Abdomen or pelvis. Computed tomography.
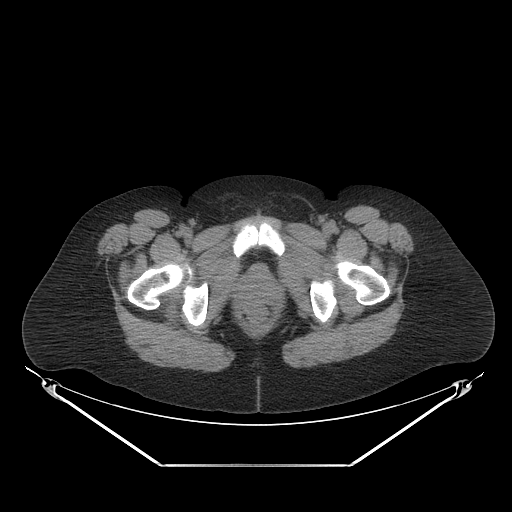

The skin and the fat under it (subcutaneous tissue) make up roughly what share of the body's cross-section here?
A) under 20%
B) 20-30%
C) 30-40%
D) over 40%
D) over 40%
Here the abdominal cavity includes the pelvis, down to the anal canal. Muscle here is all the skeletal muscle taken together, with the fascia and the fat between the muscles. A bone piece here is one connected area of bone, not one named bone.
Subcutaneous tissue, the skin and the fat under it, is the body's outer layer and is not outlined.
The bones appear in 5 outlined pieces: piece 1: 171,262 178,264 187,262 193,271 190,280 188,280 189,277 186,273 181,283 178,286 163,292 159,296 160,304 157,308 152,310 146,310 138,307 128,300 126,296 126,291 129,284 133,280 150,267 157,268; piece 2: 342,260 348,260 356,264 367,264 371,266 378,273 382,275 386,279 390,287 390,293 389,295 382,301 372,305 364,305 359,303 355,297 355,291 354,289 349,285 343,283 337,275 337,270 334,265 337,262; piece 3: 262,221 267,222 279,232 285,244 285,250 284,252 281,256 278,256 268,247 264,245 255,245 246,251 238,259 233,253 233,250 232,249 232,243 234,237 244,224 246,223 250,223 251,224 258,225 260,222; piece 4: 204,281 206,281 207,282 207,285 208,286 208,304 207,305 206,317 204,322 202,324 198,326 194,326 188,322 186,317 182,311 182,304 183,303 182,291 184,288 184,286 186,284 189,284 192,286 197,287; piece 5: 326,279 331,279 333,281 333,283 334,284 334,295 336,298 337,303 333,309 332,313 328,320 323,323 316,318 313,313 309,291 310,290 310,283 312,280 316,280 319,282 322,282. The abdominal cavity is outlined by 255,246 264,246 268,248 277,256 278,274 281,278 283,286 282,295 277,306 276,312 271,320 272,321 264,330 259,333 256,333 251,330 243,321 241,317 234,290 236,276 239,270 242,256 251,248 253,248. The muscle is outlined by 359,204 375,207 399,219 414,243 403,285 405,307 398,329 373,351 308,369 286,364 282,359 282,345 303,334 308,326 296,314 290,299 283,321 258,343 233,323 230,310 226,308 213,330 216,338 228,345 236,356 227,368 220,371 204,373 152,365 138,358 124,344 96,246 105,230 129,213 145,208 159,209 187,223 198,233 258,214 318,228 with holes at 262,221 267,222 276,229 285,244 284,252 281,256 277,257 278,274 281,278 283,291 272,321 264,330 256,333 243,321 235,296 234,285 242,257 238,259 235,256 232,243 234,237 244,224 250,223 258,225 and at 171,262 178,264 187,262 193,271 190,280 188,280 189,277 186,273 181,283 178,286 163,292 159,296 160,304 157,308 152,310 146,310 138,307 128,300 126,296 126,291 129,284 133,280 150,267 157,268 and at 342,260 348,260 356,264 367,264 371,266 378,273 382,275 386,279 390,287 390,293 389,295 382,301 372,305 364,305 359,303 355,297 355,291 354,289 349,285 343,283 337,275 337,270 334,265 337,262 and at 204,281 206,281 207,282 207,285 208,286 208,304 207,305 206,317 204,322 202,324 198,326 194,326 188,322 186,317 182,311 182,304 183,303 182,291 184,288 184,286 186,284 189,284 192,286 197,287 and at 326,279 331,279 333,281 333,283 334,284 334,295 336,298 337,303 333,309 332,313 328,320 323,323 316,318 313,313 309,291 310,290 310,283 312,280 316,280 319,282 322,282. The torso is outlined by 240,174 302,180 329,198 345,185 366,183 417,200 489,291 495,329 488,350 473,362 432,367 357,400 290,413 191,409 146,398 82,369 37,367 22,343 24,309 88,209 141,186 169,185 187,196 210,181.